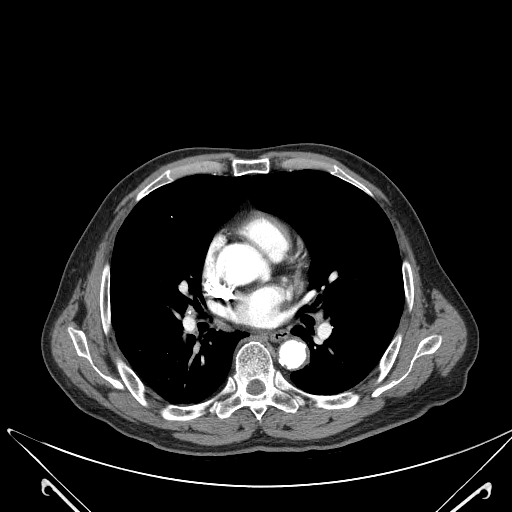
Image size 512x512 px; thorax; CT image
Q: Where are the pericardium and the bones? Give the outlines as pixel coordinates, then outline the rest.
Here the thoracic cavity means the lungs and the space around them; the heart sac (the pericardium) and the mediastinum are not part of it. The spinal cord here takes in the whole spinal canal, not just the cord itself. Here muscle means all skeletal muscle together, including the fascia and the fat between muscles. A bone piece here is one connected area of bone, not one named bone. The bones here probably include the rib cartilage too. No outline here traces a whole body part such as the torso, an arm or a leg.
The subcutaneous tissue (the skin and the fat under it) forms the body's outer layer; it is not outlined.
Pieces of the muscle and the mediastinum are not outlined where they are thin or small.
A: {"pericardium":[[[250,208],[255,208],[271,214],[288,224],[300,236],[309,255],[309,265],[306,272],[307,285],[305,288],[305,295],[297,304],[291,317],[285,323],[271,329],[255,329],[235,325],[227,321],[210,309],[202,292],[202,270],[206,254],[216,232],[226,222]]],"bones":[{"outer":[[249,341],[263,344],[274,366],[302,391],[334,395],[353,390],[360,395],[359,400],[338,409],[307,403],[293,413],[269,405],[260,422],[247,406],[225,418],[207,412],[189,420],[164,419],[159,409],[166,403],[197,404],[219,392],[234,369],[236,351]],"hole":[[255,379],[257,379],[258,380],[259,380],[260,381],[261,381],[263,383],[263,385],[264,386],[264,388],[263,389],[263,390],[261,392],[260,392],[257,394],[253,394],[252,393],[250,393],[247,390],[247,387],[248,386],[248,384],[252,380],[254,380]]},[[262,157],[268,157],[271,162],[271,169],[267,173],[253,173],[238,176],[235,176],[228,171],[220,174],[208,172],[192,173],[176,178],[171,182],[154,189],[136,203],[135,202],[137,194],[166,169],[194,161],[217,160],[228,164],[232,158],[252,159]],[[69,326],[81,330],[85,334],[91,359],[98,369],[104,374],[121,381],[122,380],[115,363],[116,357],[121,357],[129,365],[149,390],[147,395],[149,405],[147,407],[143,406],[125,387],[122,389],[114,387],[96,372],[85,357],[77,354],[67,331]],[[296,157],[318,159],[337,165],[348,174],[355,178],[368,188],[374,195],[375,199],[351,183],[335,175],[331,174],[328,171],[322,169],[316,169],[315,168],[301,168],[300,169],[288,170],[287,169],[279,168],[277,164],[283,159],[286,158],[295,158]],[[432,334],[441,335],[441,343],[439,347],[433,353],[421,355],[416,358],[413,362],[411,370],[400,382],[383,391],[376,397],[372,397],[371,393],[375,388],[381,385],[385,385],[392,380],[398,379],[407,370],[410,361],[415,353],[419,342],[423,338]],[[107,262],[109,263],[109,304],[110,305],[110,313],[111,314],[111,329],[107,336],[104,333],[104,331],[103,330],[103,326],[102,325],[102,322],[101,321],[100,307],[99,306],[99,290],[100,289],[101,274],[102,273],[102,269],[105,263]],[[397,332],[400,332],[402,334],[402,339],[401,340],[401,343],[400,344],[397,355],[395,358],[395,360],[385,377],[378,384],[376,384],[374,381],[378,373],[376,370],[378,363],[383,354],[385,352],[386,349],[388,347],[389,344],[391,342],[393,337]],[[404,259],[406,259],[409,262],[411,269],[412,270],[412,275],[413,276],[413,287],[414,288],[414,290],[413,291],[413,305],[412,306],[411,311],[409,312],[407,309],[407,306],[405,303],[404,283],[403,282],[403,275],[402,274],[402,260]]],"muscle":[{"outer":[[271,151],[307,151],[332,157],[384,193],[408,238],[427,302],[431,302],[432,289],[437,289],[465,323],[467,343],[462,356],[447,374],[434,372],[417,389],[388,399],[358,423],[317,439],[288,439],[255,431],[238,442],[198,444],[176,438],[162,428],[128,420],[88,396],[52,356],[54,323],[77,284],[86,279],[120,201],[160,166],[205,153],[229,152],[239,157],[228,163],[217,159],[181,163],[152,179],[134,197],[135,204],[115,235],[110,261],[101,269],[100,321],[107,337],[112,328],[126,360],[119,355],[114,360],[121,380],[94,363],[81,329],[66,328],[76,354],[114,388],[125,388],[145,408],[150,405],[152,391],[166,402],[158,413],[167,421],[189,421],[207,413],[225,419],[247,407],[260,423],[269,406],[293,414],[307,404],[326,410],[350,408],[361,397],[352,388],[375,369],[376,385],[389,373],[403,339],[396,331],[405,304],[407,311],[412,311],[415,290],[411,264],[400,255],[390,220],[372,191],[337,164],[296,156],[283,158],[276,164],[278,168],[272,169],[268,156],[258,157]],"hole":[[432,334],[441,335],[441,343],[439,347],[433,353],[421,355],[416,358],[413,362],[411,370],[400,382],[383,391],[376,397],[372,397],[371,393],[375,388],[381,385],[385,385],[392,380],[398,379],[407,370],[410,361],[415,353],[419,342],[423,338]]}],"thoracic_cavity":[[[275,169],[328,172],[381,207],[401,258],[395,333],[350,389],[295,386],[290,375],[310,363],[291,331],[309,293],[310,255],[247,195],[216,230],[200,275],[206,311],[247,336],[219,391],[167,402],[130,366],[112,327],[116,235],[140,200],[176,179]]],"mediastinum":[[[307,286],[308,293],[295,313],[298,323],[290,331],[306,342],[309,363],[293,371],[288,379],[275,366],[270,350],[260,341],[246,341],[235,352],[238,342],[248,333],[223,330],[220,322],[207,311],[208,307],[235,326],[271,330],[292,317],[306,295]],[[247,196],[248,196],[248,198],[249,199],[249,201],[251,203],[251,204],[254,207],[250,207],[247,209],[245,209],[244,210],[241,211],[239,213],[236,214],[233,217],[232,217],[236,213],[236,212],[238,210],[240,205],[245,200],[245,199]]],"spinal_cord":[[[255,379],[257,379],[258,380],[259,380],[260,381],[261,381],[263,383],[263,385],[264,386],[264,388],[263,389],[263,390],[261,392],[260,392],[257,394],[253,394],[252,393],[250,393],[247,390],[247,387],[248,386],[248,384],[252,380],[254,380]]]}